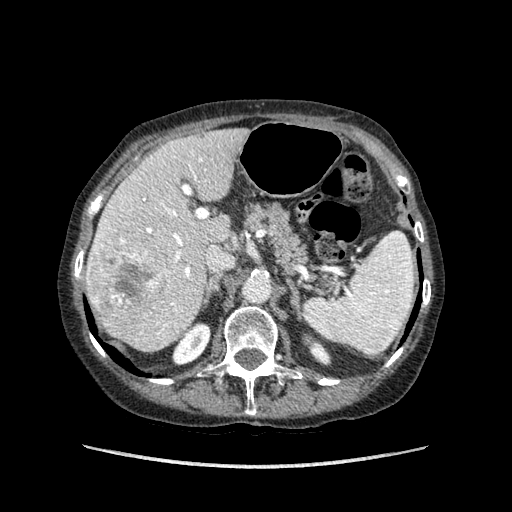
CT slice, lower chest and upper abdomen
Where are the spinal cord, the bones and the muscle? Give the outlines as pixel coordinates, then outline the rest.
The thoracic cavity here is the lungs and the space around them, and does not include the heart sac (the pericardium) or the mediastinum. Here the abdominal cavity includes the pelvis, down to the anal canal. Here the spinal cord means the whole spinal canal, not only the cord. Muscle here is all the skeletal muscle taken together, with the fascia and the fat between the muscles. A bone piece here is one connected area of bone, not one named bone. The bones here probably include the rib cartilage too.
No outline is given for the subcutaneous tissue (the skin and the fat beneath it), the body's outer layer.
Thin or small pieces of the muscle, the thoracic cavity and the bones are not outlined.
The spinal cord is outlined by (243, 349) (257, 349) (258, 350) (259, 350) (261, 352) (262, 352) (265, 355) (265, 359) (260, 364) (259, 364) (255, 368) (249, 370) (248, 369) (243, 367) (238, 362) (237, 362) (236, 361) (236, 359) (235, 358) (235, 356) (236, 355) (236, 354) (239, 351) (240, 351). The bones appear in 7 outlined pieces: piece 1: (240, 305) (258, 306) (272, 316) (279, 327) (274, 359) (300, 371) (303, 376) (285, 377) (283, 385) (278, 384) (274, 375) (259, 376) (254, 382) (254, 415) (244, 412) (247, 396) (242, 378) (225, 374) (219, 383) (213, 374) (201, 377) (196, 375) (224, 358) (225, 320); inner edge: (243, 349) (257, 349) (258, 350) (259, 350) (261, 352) (262, 352) (265, 355) (265, 359) (260, 364) (259, 364) (255, 368) (249, 370) (248, 369) (243, 367) (238, 362) (237, 362) (236, 361) (236, 359) (235, 358) (235, 356) (236, 355) (236, 354) (239, 351) (240, 351); piece 2: (355, 132) (358, 133) (363, 132) (365, 133) (372, 141) (376, 143) (382, 148) (385, 152) (388, 153) (395, 160) (397, 164) (404, 171) (409, 179) (411, 191) (408, 195) (406, 195) (405, 193) (400, 189) (386, 166) (380, 159) (378, 157) (376, 157) (361, 141) (355, 134); piece 3: (103, 189) (106, 189) (106, 190) (107, 191) (104, 195) (104, 197) (103, 198) (103, 199) (101, 201) (101, 206) (100, 207) (99, 210) (93, 217) (93, 218) (92, 219) (89, 219) (89, 218) (86, 214) (87, 209) (88, 208) (91, 201) (92, 201) (98, 194) (98, 193); piece 4: (424, 275) (429, 280) (430, 282) (430, 285) (431, 286) (431, 294) (430, 295) (430, 300) (427, 306) (426, 306) (423, 309) (420, 310) (420, 308) (421, 307) (421, 303) (422, 302) (422, 288) (423, 287) (422, 285) (423, 284) (423, 278) (424, 277); piece 5: (81, 248) (83, 248) (85, 252) (84, 253) (84, 258) (83, 259) (83, 265) (82, 266) (82, 269) (80, 273) (81, 275) (81, 277) (80, 279) (77, 280) (74, 277) (73, 275) (73, 271) (74, 270) (74, 264) (75, 263) (75, 259) (77, 256) (77, 254) (79, 250); piece 6: (404, 342) (404, 349) (403, 350) (402, 353) (398, 357) (398, 358) (397, 358) (395, 360) (395, 361) (392, 364) (391, 364) (388, 367) (386, 367) (385, 368) (384, 368) (383, 367) (383, 364) (390, 357) (390, 356) (396, 350) (396, 349) (399, 346) (400, 346); piece 7: (89, 330) (92, 333) (94, 337) (98, 341) (100, 345) (106, 352) (106, 353) (108, 355) (108, 357) (103, 357) (97, 351) (97, 350) (95, 348) (95, 347) (93, 345) (93, 344) (90, 340) (90, 338) (88, 334) (88, 331). The muscle is outlined by (256, 112) (260, 113) (286, 112) (310, 114) (317, 116) (328, 116) (334, 118) (337, 121) (356, 125) (379, 138) (403, 164) (411, 177) (418, 208) (426, 224) (430, 250) (432, 255) (435, 288) (434, 297) (430, 310) (425, 320) (425, 328) (423, 330) (423, 334) (414, 349) (395, 370) (393, 374) (386, 378) (366, 397) (351, 405) (345, 406) (337, 410) (299, 418) (260, 418) (250, 416) (225, 417) (215, 415) (193, 414) (174, 408) (166, 407) (145, 398) (142, 398) (120, 381) (106, 367) (102, 365) (86, 346) (81, 333) (80, 319) (72, 304) (70, 291) (71, 285) (69, 278) (70, 262) (78, 237) (80, 217) (84, 204) (104, 174) (130, 142) (144, 134) (148, 134) (153, 131) (171, 128) (177, 125) (195, 120) (232, 114), around a hole outlined by (250, 118) (326, 126) (363, 146) (355, 134) (363, 132) (388, 153) (409, 179) (407, 211) (423, 230) (424, 241) (416, 241) (423, 274) (431, 286) (429, 303) (418, 311) (398, 358) (388, 367) (343, 377) (333, 385) (317, 384) (319, 373) (295, 363) (290, 337) (281, 327) (274, 359) (300, 371) (303, 377) (285, 377) (280, 385) (274, 375) (259, 376) (254, 382) (254, 415) (244, 412) (247, 396) (242, 378) (225, 374) (219, 383) (213, 374) (196, 375) (224, 358) (225, 336) (220, 328) (211, 340) (209, 355) (190, 369) (171, 375) (174, 383) (151, 382) (97, 351) (88, 334) (82, 281) (73, 275) (77, 254) (81, 248) (86, 250) (93, 229) (94, 219) (86, 212) (100, 191) (107, 191) (102, 204) (148, 152) (172, 138). The thoracic cavity appears in 2 outlined pieces: piece 1: (83, 297) (86, 299) (89, 306) (89, 309) (91, 312) (93, 321) (97, 330) (97, 335) (104, 342) (115, 348) (122, 356) (125, 358) (127, 358) (138, 370) (151, 376) (143, 376) (142, 375) (135, 374) (118, 364) (110, 357) (99, 341) (89, 329) (85, 312) (84, 311); piece 2: (418, 249) (420, 250) (422, 270) (423, 271) (420, 307) (414, 323) (406, 339) (398, 346) (406, 328) (406, 325) (410, 318) (410, 315) (412, 313) (412, 310) (414, 307) (414, 304) (416, 301) (420, 287) (418, 260) (417, 259) (417, 250). The torso is outlined by (242, 98) (305, 99) (363, 113) (391, 134) (418, 176) (443, 257) (443, 305) (431, 348) (415, 382) (396, 403) (374, 414) (301, 429) (245, 423) (196, 427) (154, 420) (132, 413) (108, 398) (66, 338) (57, 272) (74, 202) (94, 171) (123, 136) (143, 121) (205, 102). The abdominal cavity is outlined by (250, 118) (337, 130) (375, 156) (399, 188) (419, 248) (419, 287) (397, 347) (373, 371) (341, 378) (296, 364) (286, 330) (266, 309) (252, 304) (240, 304) (226, 317) (208, 356) (170, 377) (138, 369) (98, 335) (82, 295) (81, 273) (94, 218) (106, 198) (160, 144).